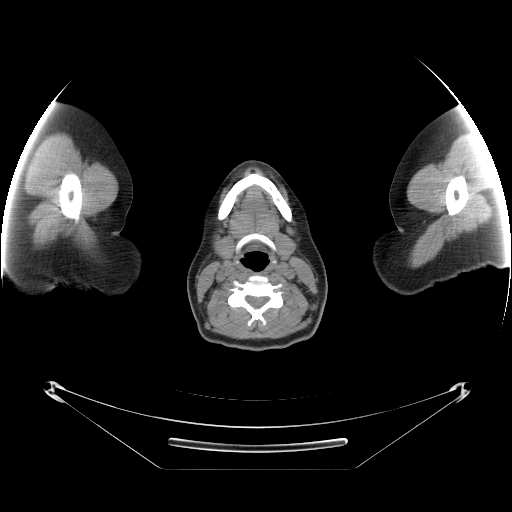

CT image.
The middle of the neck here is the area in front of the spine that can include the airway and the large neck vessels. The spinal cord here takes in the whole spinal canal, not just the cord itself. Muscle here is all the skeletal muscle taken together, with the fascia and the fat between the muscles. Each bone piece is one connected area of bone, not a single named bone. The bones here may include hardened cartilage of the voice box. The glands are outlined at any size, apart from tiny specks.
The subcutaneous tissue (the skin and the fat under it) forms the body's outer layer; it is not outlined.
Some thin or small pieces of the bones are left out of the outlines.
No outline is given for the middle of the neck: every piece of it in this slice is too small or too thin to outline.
Outlines:
bones 1: [[254,274],[266,276],[269,282],[274,285],[282,284],[283,304],[279,308],[270,307],[262,313],[265,319],[264,325],[256,320],[249,326],[247,322],[251,317],[250,313],[242,306],[231,307],[227,299],[230,294],[229,288],[233,285],[234,280],[243,283]]; inner edge: [[247,296],[252,296],[253,297],[268,297],[268,300],[265,303],[264,303],[261,306],[260,306],[259,307],[254,307],[253,306],[252,306],[246,300],[246,299],[245,298]]
bones 2: [[252,172],[259,173],[267,177],[274,183],[291,209],[292,220],[290,222],[287,221],[282,216],[279,210],[274,204],[271,196],[264,189],[255,184],[247,187],[237,196],[230,212],[224,219],[219,220],[217,218],[217,212],[219,206],[231,187],[239,179]]
bones 3: [[68,172],[73,172],[75,173],[78,176],[81,185],[82,205],[81,206],[80,219],[79,222],[77,224],[74,224],[74,222],[71,219],[66,218],[60,211],[60,206],[59,205],[59,192],[58,191],[59,190],[59,186],[61,183],[63,176]]
bones 4: [[457,174],[459,176],[466,179],[466,181],[467,182],[467,188],[468,189],[468,200],[465,206],[463,209],[461,210],[461,211],[460,211],[457,214],[455,214],[454,215],[449,215],[444,202],[445,200],[445,191],[450,178]]
bones 5: [[252,233],[258,233],[259,234],[261,234],[268,237],[274,243],[274,246],[275,247],[276,251],[272,250],[265,243],[257,239],[254,239],[244,244],[240,249],[239,252],[238,253],[236,253],[235,252],[235,246],[237,242],[242,237],[248,234],[251,234]]
muscle 1: [[251,165],[258,166],[263,169],[267,169],[271,171],[285,187],[297,216],[299,233],[302,237],[301,247],[314,266],[318,276],[317,305],[316,309],[313,313],[313,319],[311,323],[304,329],[285,337],[275,339],[271,338],[235,339],[216,334],[207,330],[204,327],[204,320],[199,310],[196,297],[195,275],[201,261],[210,250],[210,236],[212,231],[211,221],[216,210],[220,193],[222,189],[239,170]], around holes outlined by [[254,274],[266,276],[269,282],[274,285],[282,284],[283,304],[279,308],[270,307],[262,313],[265,319],[264,325],[256,320],[249,326],[247,322],[251,317],[250,313],[242,306],[231,307],[227,299],[230,294],[229,288],[233,285],[234,280],[243,283]] and by [[252,172],[259,173],[267,177],[274,183],[291,209],[292,220],[290,222],[287,221],[282,216],[279,210],[274,204],[271,196],[264,189],[255,184],[247,187],[237,196],[230,212],[224,219],[219,220],[217,218],[217,212],[219,206],[231,187],[239,179]] and by [[279,232],[289,236],[295,243],[295,249],[290,255],[285,258],[282,257],[277,251],[272,250],[265,243],[257,239],[247,242],[243,245],[238,253],[235,252],[235,246],[237,242],[242,237],[248,234],[258,233],[264,235],[274,243],[275,237]] and by [[252,251],[259,251],[260,252],[263,252],[264,253],[265,253],[267,255],[267,263],[263,268],[262,268],[259,270],[254,270],[253,269],[252,269],[251,268],[244,265],[240,261],[240,260],[242,258],[243,258],[244,257],[245,254],[247,252],[251,252]] and by [[227,235],[230,236],[232,239],[232,243],[233,244],[233,253],[231,257],[229,258],[224,258],[223,257],[221,257],[219,255],[218,255],[217,253],[216,253],[214,245],[215,244],[216,240],[217,240],[219,238],[222,238]]
muscle 2: [[54,133],[71,133],[73,137],[75,136],[87,149],[107,165],[118,179],[119,190],[117,197],[101,213],[98,223],[99,244],[107,259],[104,264],[89,260],[75,251],[54,250],[41,252],[32,249],[31,239],[26,226],[25,175],[39,145],[47,136]]; inner edge: [[68,172],[73,172],[75,173],[78,176],[81,185],[82,205],[81,206],[80,219],[79,222],[77,224],[74,224],[74,222],[71,219],[66,218],[60,211],[60,206],[59,205],[59,192],[58,191],[59,190],[59,186],[61,183],[63,176]]
muscle 3: [[472,128],[478,129],[492,157],[503,189],[505,205],[484,229],[472,234],[462,235],[451,242],[447,242],[431,261],[417,268],[410,268],[406,264],[407,256],[420,233],[419,215],[407,200],[407,183],[410,177],[419,168],[427,163],[434,162],[460,132]]; inner edge: [[457,174],[459,176],[466,179],[466,181],[467,182],[467,188],[468,189],[468,200],[465,206],[463,209],[461,210],[461,211],[460,211],[457,214],[455,214],[454,215],[449,215],[444,202],[445,200],[445,191],[450,178]]
right arm: [[56,97],[58,102],[70,102],[86,109],[103,123],[115,141],[131,175],[133,198],[121,234],[134,241],[140,248],[143,266],[132,289],[117,298],[111,299],[103,295],[60,288],[41,297],[31,297],[16,291],[0,273],[0,234],[10,183],[26,141]]
spinal cord: [[247,296],[252,296],[253,297],[268,297],[268,300],[265,303],[264,303],[261,306],[260,306],[259,307],[254,307],[253,306],[252,306],[246,300],[246,299],[245,298]]
submandibular glands 1: [[279,232],[282,233],[284,235],[287,235],[288,236],[289,236],[293,240],[293,241],[295,243],[295,249],[290,255],[289,255],[285,258],[282,257],[278,253],[278,252],[276,249],[276,247],[275,246],[275,237],[276,236],[277,233],[278,233]]
submandibular glands 2: [[227,235],[230,236],[232,239],[232,243],[233,244],[233,253],[231,257],[229,258],[224,258],[223,257],[221,257],[219,255],[218,255],[217,253],[216,253],[214,245],[215,244],[216,240],[217,240],[219,238],[222,238]]
left arm: [[459,104],[467,111],[483,137],[501,182],[507,210],[508,229],[511,234],[511,271],[507,266],[487,267],[462,273],[414,295],[400,295],[388,289],[380,281],[371,260],[371,249],[376,238],[396,228],[388,203],[390,184],[403,153],[418,132],[436,116]]
head and neck: [[249,159],[260,160],[271,165],[293,190],[306,212],[311,235],[322,257],[327,276],[327,297],[321,320],[315,333],[309,339],[290,346],[263,351],[232,348],[206,341],[198,332],[186,289],[187,272],[200,243],[203,217],[206,208],[227,174],[236,165]]; inner edge: [[252,251],[259,251],[260,252],[263,252],[267,255],[267,263],[263,268],[261,269],[259,269],[258,270],[256,270],[255,269],[252,269],[251,267],[248,267],[244,265],[240,261],[240,260],[244,257],[245,254],[247,252],[251,252]]